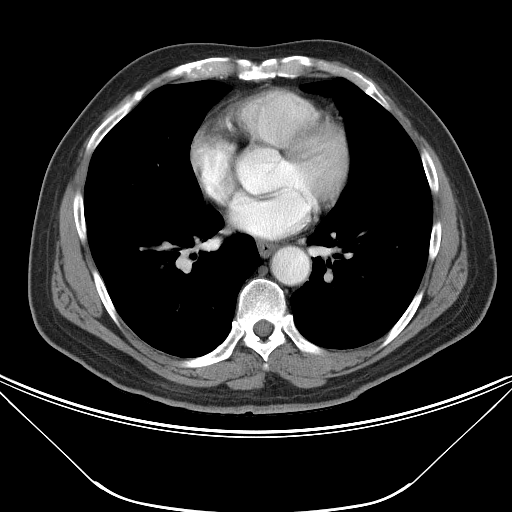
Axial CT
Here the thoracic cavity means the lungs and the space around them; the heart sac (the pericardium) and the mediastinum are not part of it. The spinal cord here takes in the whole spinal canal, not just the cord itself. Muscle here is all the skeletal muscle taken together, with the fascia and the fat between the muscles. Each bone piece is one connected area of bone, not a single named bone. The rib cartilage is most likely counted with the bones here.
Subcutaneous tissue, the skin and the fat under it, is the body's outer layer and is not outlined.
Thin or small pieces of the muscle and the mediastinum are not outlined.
{"pericardium":[[[268,84],[288,89],[301,90],[331,102],[343,120],[349,151],[347,180],[333,207],[321,217],[311,230],[297,237],[279,241],[268,241],[257,238],[229,227],[220,212],[215,207],[208,204],[204,199],[190,161],[192,140],[209,112],[241,92],[260,85]]],"muscle":[[[360,72],[383,89],[433,148],[463,220],[467,280],[456,300],[414,336],[377,361],[316,387],[298,387],[271,371],[259,389],[195,387],[150,370],[71,322],[54,306],[51,274],[58,212],[78,151],[104,113],[135,90],[89,137],[85,152],[91,155],[83,191],[77,189],[72,198],[78,237],[83,244],[87,241],[96,268],[91,270],[94,286],[119,328],[122,320],[151,347],[183,358],[178,362],[183,368],[226,360],[241,341],[262,358],[265,371],[269,355],[287,338],[301,352],[314,355],[324,348],[359,348],[383,336],[377,349],[390,343],[417,311],[427,262],[435,259],[440,248],[442,223],[433,221],[432,198],[439,191],[439,181],[427,149],[419,151],[385,97]],[[165,77],[169,77],[174,79],[175,78],[184,78],[185,80],[183,80],[182,79],[176,79],[175,80],[169,81],[161,85],[159,85],[157,87],[155,87],[152,89],[143,97],[144,94],[151,86],[152,83],[158,82],[162,78],[164,78]],[[311,57],[314,57],[315,58],[318,58],[319,59],[323,59],[324,60],[327,60],[328,61],[337,61],[338,62],[343,63],[357,70],[352,69],[346,66],[340,66],[339,65],[334,64],[329,61],[326,61],[325,60],[317,60],[315,61]],[[164,71],[165,71],[160,76],[159,76],[158,77],[156,77],[151,82],[148,82],[147,83],[146,83],[143,86],[142,86],[141,87],[136,89],[141,84],[142,84],[144,82],[145,82],[150,78],[151,78],[152,77],[153,77],[154,76],[155,76]]],"spinal_cord":[[[260,320],[265,320],[266,321],[267,321],[268,322],[269,322],[272,325],[272,330],[271,331],[271,332],[267,336],[266,336],[265,337],[261,337],[260,336],[259,336],[257,334],[256,334],[254,331],[254,326],[255,325],[255,324],[257,322],[258,322]]],"bones":[{"outer":[[254,278],[271,280],[281,288],[287,310],[298,331],[324,351],[320,354],[301,351],[287,337],[283,344],[270,352],[268,370],[265,370],[263,358],[241,340],[226,359],[199,367],[181,366],[179,362],[182,360],[210,352],[227,337],[236,314],[239,293]],"hole":[[260,320],[265,320],[266,321],[267,321],[268,322],[269,322],[272,325],[272,330],[271,331],[271,332],[267,336],[266,336],[265,337],[261,337],[260,336],[259,336],[257,334],[256,334],[254,331],[254,326],[255,325],[255,324],[257,322],[258,322]]},[[291,55],[305,55],[315,62],[325,61],[359,72],[374,84],[390,106],[389,111],[345,77],[315,67],[307,68],[303,74],[292,78],[276,76],[245,80],[233,74],[195,80],[165,76],[152,82],[175,66],[213,56],[243,58],[259,64],[268,58]],[[148,83],[151,83],[151,84],[143,94],[142,98],[107,132],[107,133],[101,139],[92,153],[87,153],[86,152],[86,146],[90,139],[90,137],[98,126],[109,115],[110,115],[123,103],[130,98],[133,93],[136,90],[143,87]],[[419,290],[423,290],[423,295],[422,296],[421,301],[411,319],[407,323],[407,324],[403,328],[403,329],[390,342],[389,342],[383,347],[378,349],[378,347],[379,345],[383,341],[385,335],[400,318],[400,317],[408,307],[409,304],[413,299],[416,293]],[[93,269],[96,269],[99,275],[101,277],[106,288],[106,290],[109,295],[109,297],[118,315],[121,319],[120,321],[120,327],[119,327],[111,318],[107,312],[100,298],[100,296],[95,286],[95,283],[94,282],[93,276],[92,275],[92,270]],[[77,190],[80,191],[80,192],[82,194],[82,197],[83,198],[83,214],[84,215],[85,226],[86,227],[86,241],[83,243],[81,241],[79,237],[79,235],[76,228],[75,220],[74,219],[74,214],[73,213],[73,198],[74,197],[75,192]],[[422,148],[425,148],[426,149],[429,155],[431,157],[435,167],[435,170],[437,174],[437,180],[438,181],[438,191],[436,193],[432,193],[431,192],[431,190],[428,183],[428,180],[427,179],[427,177],[423,167],[422,160],[420,156],[420,151]],[[435,220],[439,220],[441,223],[441,236],[440,237],[440,243],[439,244],[439,248],[438,249],[438,251],[437,252],[436,256],[433,260],[429,260],[428,259],[428,256],[429,255],[429,246],[430,245],[430,238],[431,237],[431,231],[432,230],[433,222]]],"mediastinum":[[[317,224],[314,230],[305,239],[309,255],[311,256],[311,272],[309,278],[290,295],[288,305],[284,291],[276,282],[271,279],[265,277],[254,277],[250,279],[243,286],[245,281],[254,273],[261,262],[254,238],[268,242],[279,242],[297,238],[311,231]],[[309,74],[329,74],[336,76],[331,79],[303,83],[300,86],[301,89],[288,88],[285,86],[270,83],[260,84],[235,94],[209,111],[213,105],[231,89],[228,84],[210,78],[235,76],[240,80],[256,81],[270,78],[272,79],[276,77],[292,79]],[[224,220],[224,221],[225,222],[225,223],[226,224],[226,225],[229,228],[230,228],[232,230],[235,230],[236,231],[238,231],[239,232],[242,232],[233,232],[232,233],[230,233],[229,232],[228,232],[227,231],[226,231],[224,229]]],"torso":[[[316,38],[347,42],[379,57],[419,94],[454,138],[483,201],[495,249],[496,286],[480,323],[458,341],[352,401],[281,414],[212,414],[172,407],[122,391],[51,347],[36,329],[28,303],[32,226],[50,158],[98,90],[135,58],[166,45],[260,46]]],"thoracic_cavity":[[[204,79],[221,82],[230,89],[212,105],[195,132],[190,143],[189,161],[204,205],[219,212],[226,232],[253,238],[260,262],[238,293],[226,337],[210,351],[184,358],[151,346],[119,315],[87,240],[83,192],[93,152],[108,132],[148,93],[167,83]],[[337,76],[357,86],[401,125],[419,152],[432,199],[428,255],[417,291],[384,335],[348,349],[325,348],[310,341],[299,331],[288,310],[291,295],[309,280],[312,272],[312,256],[306,239],[338,201],[350,169],[345,124],[332,97],[304,91],[301,86]]]}